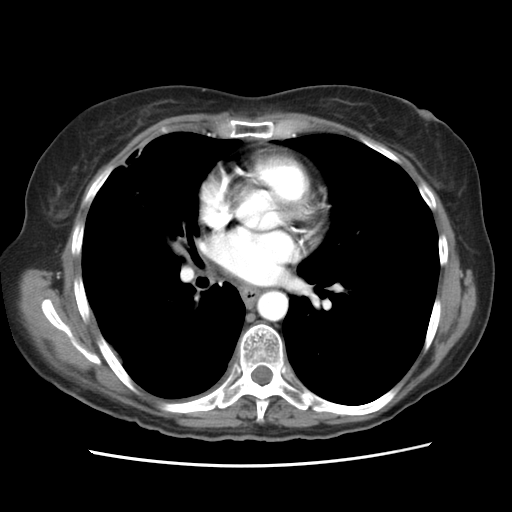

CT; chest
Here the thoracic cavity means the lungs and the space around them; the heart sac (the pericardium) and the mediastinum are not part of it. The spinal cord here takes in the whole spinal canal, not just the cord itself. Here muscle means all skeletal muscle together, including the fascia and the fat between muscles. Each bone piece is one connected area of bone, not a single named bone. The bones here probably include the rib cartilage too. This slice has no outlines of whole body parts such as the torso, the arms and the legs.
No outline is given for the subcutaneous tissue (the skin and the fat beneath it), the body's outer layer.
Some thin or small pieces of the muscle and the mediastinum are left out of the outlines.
The muscle is outlined by 224,111 229,111 234,114 246,117 255,117 265,113 273,113 274,112 298,112 325,118 351,127 382,143 384,143 391,149 395,150 407,158 436,192 445,209 450,221 451,227 455,235 456,248 459,256 460,266 464,270 467,268 471,269 476,287 477,300 471,321 464,333 449,350 439,365 403,398 389,409 382,412 375,417 361,421 339,423 338,424 319,423 316,425 306,427 288,427 287,426 278,426 274,424 258,424 257,423 244,427 241,426 230,427 229,426 215,428 209,427 195,428 180,425 172,419 156,416 138,408 124,404 119,401 113,400 100,393 85,388 79,383 60,374 46,362 34,345 27,330 20,321 20,316 18,314 18,309 16,304 19,293 18,280 20,274 26,268 31,267 50,270 53,272 57,272 62,270 61,253 69,236 72,221 79,205 83,192 87,184 98,169 109,161 136,135 162,119 183,114 219,113; inner edges: 231,119 298,119 309,125 302,133 362,135 431,190 436,231 447,241 435,294 439,321 426,352 420,350 380,409 360,415 303,410 272,395 257,422 256,398 245,394 224,408 166,411 137,383 135,393 119,379 97,344 93,313 83,320 73,287 81,257 71,244 75,225 86,221 90,207 81,204 92,183 108,166 123,165 155,129 177,125 206,134, then 47,298 51,301 56,312 60,318 69,327 76,341 82,347 88,351 94,353 100,359 100,364 97,364 90,361 72,344 69,337 64,331 57,328 48,320 43,313 41,308 41,303 42,301 44,299 46,299. The pericardium is outlined by 252,144 285,146 307,158 323,177 331,204 329,227 322,241 309,255 299,262 293,273 283,283 271,290 261,290 240,285 219,275 204,257 198,245 200,233 198,224 199,190 202,182 220,160 227,158 234,151. The thoracic cavity appears in 2 outlined pieces: piece 1: 180,130 212,132 218,138 241,141 241,145 211,168 199,186 197,245 215,280 220,285 228,282 237,290 245,311 237,359 225,379 199,397 161,401 134,381 101,333 86,295 81,253 87,214 111,172 159,136; piece 2: 293,133 343,135 398,164 414,182 431,211 438,235 439,272 422,347 395,385 365,403 338,403 316,394 297,377 286,356 282,326 298,281 297,267 325,238 332,209 324,175 315,163 300,151 272,142 291,138. The mediastinum is outlined by 206,259 215,273 224,279 261,291 271,291 277,288 294,273 296,268 297,281 293,286 293,293 289,297 289,306 282,322 282,337 275,328 264,322 250,325 241,334 246,310 239,292 228,281 220,284 206,263. The spinal cord is outlined by 259,366 265,366 267,367 271,371 271,373 272,374 271,376 271,378 270,380 267,383 265,384 259,384 257,382 254,381 252,379 252,377 251,376 251,374 252,372 257,367. The bones appear in 12 outlined pieces: piece 1: 259,323 278,332 296,377 328,401 361,405 399,382 402,385 380,409 360,415 310,407 303,410 272,395 263,421 257,422 256,398 250,394 224,408 186,413 163,410 160,402 190,401 216,389 238,359 240,336 with a hole at 259,366 265,366 267,367 271,371 271,373 272,374 271,376 271,378 270,380 267,383 265,384 259,384 257,382 254,381 252,379 252,377 251,376 251,374 252,372 257,367; piece 2: 231,119 254,122 272,121 274,123 284,119 298,119 306,121 309,126 301,132 298,133 293,132 291,134 291,137 287,138 255,138 249,136 239,138 224,138 218,136 216,133 213,132 215,123 218,121 224,121; piece 3: 47,298 51,301 56,312 60,318 69,327 76,341 82,347 88,351 94,353 100,359 100,364 97,364 90,361 72,344 69,337 64,331 57,328 48,320 43,313 41,308 41,303 42,301 44,299 46,299; piece 4: 100,333 107,342 107,343 111,347 115,355 120,361 122,366 126,372 135,383 135,387 137,389 138,393 135,393 132,391 119,379 119,378 112,370 112,369 109,366 103,357 99,349 99,347 97,344 97,340; piece 5: 80,274 82,278 82,282 83,283 83,287 84,288 85,295 91,310 91,314 87,322 85,322 83,320 79,312 79,310 77,306 77,303 76,302 76,299 75,298 74,288 73,287 74,279 76,276; piece 6: 436,296 438,296 440,300 440,304 441,305 439,321 437,325 437,328 436,329 435,334 428,349 426,352 423,352 422,348 424,344 425,336 426,335 426,332 427,331 431,312 433,308 433,305 434,304 434,301; piece 7: 110,165 113,165 114,166 114,168 110,172 106,179 103,182 102,185 97,191 90,205 89,206 87,206 86,205 82,206 81,205 82,201 84,197 86,195 88,190 90,188 92,183 96,179 96,178 108,166; piece 8: 80,221 82,222 84,222 84,228 83,229 83,236 82,237 82,243 81,244 81,252 80,253 80,256 78,256 77,255 73,255 72,254 71,252 71,244 72,243 72,236 73,235 73,230 75,227 75,225; piece 9: 359,135 362,135 368,139 371,140 373,142 377,144 379,144 385,148 388,149 400,160 400,164 395,162 383,154 378,152 376,150 371,148 369,146 366,145 364,143 358,140 358,136; piece 10: 166,125 177,125 179,126 179,128 180,129 179,130 176,130 168,133 161,134 149,143 144,145 141,149 139,149 137,147 141,142 144,141 146,138 148,137 149,134 153,130 155,129 157,130 162,126 165,126; piece 11: 420,182 424,182 431,190 431,191 433,194 434,199 435,200 435,203 436,204 436,206 435,207 435,209 434,210 431,210 428,206 428,205 426,203 426,202 423,199 423,198 418,189 418,187 417,186 417,185; piece 12: 441,233 443,233 445,235 445,236 446,237 446,240 447,241 447,261 446,262 446,263 443,266 440,266 440,260 439,259 439,247 438,246 438,237 439,236 439,234 440,234.